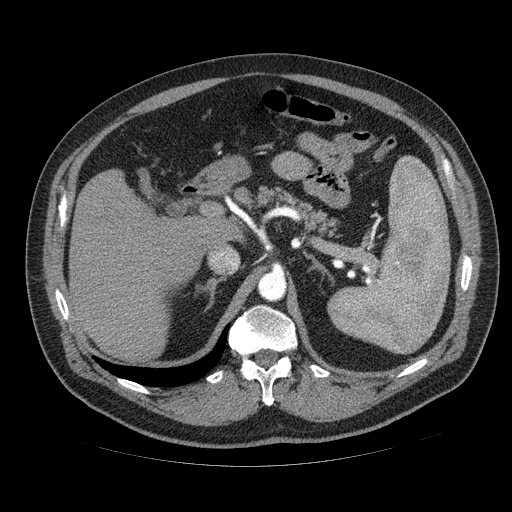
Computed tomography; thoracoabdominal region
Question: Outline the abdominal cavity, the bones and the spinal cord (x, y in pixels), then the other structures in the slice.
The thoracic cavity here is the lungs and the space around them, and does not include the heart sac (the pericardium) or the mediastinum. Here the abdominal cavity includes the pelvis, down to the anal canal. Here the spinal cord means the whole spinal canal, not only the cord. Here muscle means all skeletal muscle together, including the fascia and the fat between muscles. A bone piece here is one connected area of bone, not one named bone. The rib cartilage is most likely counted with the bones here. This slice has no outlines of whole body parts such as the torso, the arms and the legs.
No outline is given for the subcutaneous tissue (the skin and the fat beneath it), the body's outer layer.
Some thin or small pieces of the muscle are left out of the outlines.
Answer: Outlines:
abdominal cavity: 248,76 281,77 357,100 405,123 431,150 461,247 453,315 425,356 387,375 337,373 314,363 299,344 294,321 264,303 244,310 224,326 209,352 183,365 120,365 90,351 70,315 63,269 83,162 126,121
bones 1: 257,304 267,305 287,315 295,324 298,339 297,347 287,352 291,361 292,378 278,377 274,380 271,388 274,400 269,406 262,401 260,382 257,379 249,380 242,377 240,372 242,357 228,345 228,332 235,319; inner edge: 261,349 270,349 271,350 273,350 278,353 278,358 276,360 276,361 273,364 270,365 268,367 267,367 266,368 265,367 263,367 262,366 259,365 255,361 255,360 254,359 254,354 255,354 258,351 259,351
bones 2: 442,153 443,153 450,161 453,173 457,181 457,184 455,185 455,190 454,191 454,194 455,196 454,198 452,195 452,192 451,190 447,185 447,182 445,179 445,176 441,166 441,159 440,158 440,155
bones 3: 464,254 466,254 468,255 471,258 471,261 472,262 472,269 471,270 471,276 470,277 470,280 469,281 469,284 468,285 468,287 465,291 463,291 460,287 460,275 461,274 461,265 462,264 462,258
bones 4: 61,186 62,186 65,190 66,192 66,195 69,202 68,208 66,212 68,215 68,220 65,227 62,229 61,229 59,227 58,209 57,208 57,206 60,200 60,195 62,192 62,191 60,189 60,187
bones 5: 116,376 118,377 121,377 122,378 124,378 125,379 127,379 134,382 136,382 139,384 141,384 145,386 151,393 150,394 146,394 145,393 139,392 138,391 135,391 127,387 125,387 118,383 118,382 116,380
bones 6: 56,288 58,288 60,290 60,291 63,294 65,298 65,301 67,304 67,307 69,311 69,317 67,320 65,320 63,318 59,310 59,308 57,304 57,301 55,298 55,289
bones 7: 423,357 426,357 428,359 428,361 422,367 421,367 416,371 414,371 409,374 407,374 406,375 404,375 403,376 401,376 400,377 397,377 396,376 396,374 400,371 401,371 404,368 405,368 410,364 419,360
bones 8: 310,364 316,364 317,365 318,365 319,366 320,366 322,368 323,368 324,369 325,369 326,370 327,370 328,371 329,371 330,372 330,374 327,377 315,377 313,375 313,374 312,373 312,371 309,368 309,365
bones 9: 221,369 222,369 224,371 224,373 223,374 223,377 219,381 218,381 215,383 211,383 210,382 208,382 205,379 205,377 208,374 209,374 212,372 214,372 217,370 220,370
spinal cord: 261,349 270,349 271,350 273,350 278,353 278,358 276,360 276,361 273,364 270,365 268,367 267,367 266,368 265,367 263,367 262,366 259,365 255,361 255,360 254,359 254,354 255,354 258,351 259,351
muscle: 252,71 315,75 393,100 452,146 474,187 482,260 464,350 456,360 407,388 369,409 340,420 309,421 272,405 275,380 293,378 288,352 299,345 313,362 308,368 315,378 327,378 331,372 360,378 387,376 398,371 395,376 400,378 416,372 429,361 426,355 442,340 452,321 462,247 458,222 428,144 405,122 357,99 275,75 229,79 132,117 108,133 78,170 68,214 70,202 67,192 62,185 59,187 61,192 56,208 58,227 61,230 65,228 62,260 65,293 56,287 54,298 62,318 67,321 71,316 94,361 114,375 121,386 150,395 152,393 147,387 181,386 204,377 208,383 219,382 225,371 221,368 210,372 228,346 241,357 241,377 249,381 257,380 260,384 261,401 265,406 254,414 227,425 187,424 151,411 105,385 78,375 65,357 60,331 47,297 42,264 44,225 50,187 61,163 83,142 148,97 195,81; inner edges: 442,153 443,153 450,161 453,173 457,181 457,184 455,185 455,190 454,191 454,194 455,196 454,198 452,195 452,192 451,190 447,185 447,182 445,179 445,176 441,166 441,159 440,158 440,155, then 464,254 466,254 468,255 471,258 471,261 472,262 472,269 471,270 471,276 470,277 470,280 469,281 469,284 468,285 468,287 465,291 463,291 460,287 460,275 461,274 461,265 462,264 462,258
thoracic cavity: 228,324 230,324 230,326 227,332 227,346 221,358 209,373 189,383 167,387 146,386 136,381 113,374 102,367 93,358 93,356 96,356 112,364 139,368 170,368 183,366 199,360 209,353 216,344 225,326